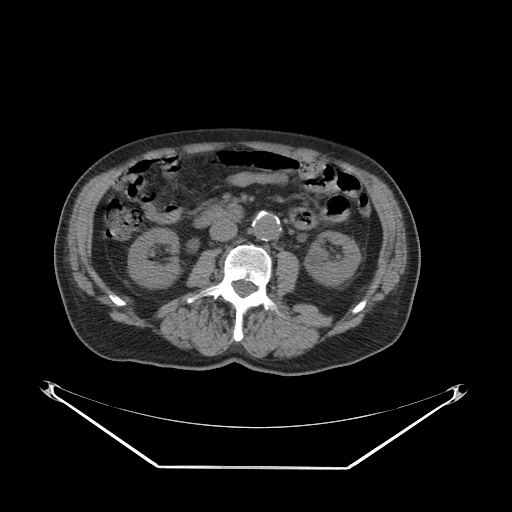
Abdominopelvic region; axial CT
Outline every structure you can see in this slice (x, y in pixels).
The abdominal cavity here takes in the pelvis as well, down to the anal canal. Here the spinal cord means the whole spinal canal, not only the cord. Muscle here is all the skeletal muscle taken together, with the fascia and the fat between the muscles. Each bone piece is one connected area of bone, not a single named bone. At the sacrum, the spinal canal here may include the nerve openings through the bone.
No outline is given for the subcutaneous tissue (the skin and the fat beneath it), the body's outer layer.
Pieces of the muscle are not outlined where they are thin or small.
{"bones":[{"outer":[[241,244],[260,246],[270,256],[272,272],[266,285],[266,293],[281,314],[265,309],[261,304],[250,307],[243,315],[243,337],[236,341],[233,339],[235,309],[228,301],[221,296],[215,299],[211,295],[190,303],[186,300],[222,279],[224,258],[230,249]],"hole":[[238,280],[244,280],[247,282],[250,282],[251,283],[252,283],[256,287],[256,289],[254,291],[251,292],[246,296],[244,296],[243,297],[242,297],[241,296],[240,296],[235,291],[235,290],[233,287],[233,285],[232,284],[234,281],[237,281]]},[[109,291],[112,291],[115,294],[116,294],[118,296],[119,296],[124,301],[125,301],[126,302],[126,304],[125,305],[124,305],[123,306],[118,306],[117,305],[116,305],[109,298],[109,297],[108,296],[108,293],[109,292]],[[363,298],[365,298],[366,299],[366,303],[365,304],[365,306],[360,311],[359,311],[357,313],[356,313],[355,314],[353,314],[351,312],[351,310],[356,305],[356,304],[358,302],[359,302]]],"abdominal_cavity":[[[225,146],[322,161],[361,181],[382,238],[372,278],[346,309],[330,315],[310,302],[288,303],[297,256],[281,249],[274,264],[254,243],[237,244],[224,257],[220,246],[203,250],[185,280],[191,289],[153,314],[96,271],[94,214],[116,179],[151,158]]],"torso":[[[218,126],[278,129],[330,139],[367,154],[395,180],[415,220],[421,265],[409,319],[392,345],[349,365],[284,376],[236,362],[207,370],[185,370],[113,361],[95,354],[78,339],[67,319],[53,266],[56,228],[71,187],[96,160],[129,141],[165,131]]],"muscle":[{"outer":[[240,141],[260,141],[261,142],[289,145],[293,147],[309,148],[319,151],[322,153],[329,154],[338,159],[341,159],[344,161],[347,161],[352,164],[354,164],[356,166],[376,175],[387,184],[391,189],[402,214],[403,224],[405,228],[405,237],[407,246],[407,258],[404,273],[400,276],[400,279],[396,287],[387,294],[381,301],[376,303],[371,311],[365,315],[362,321],[357,326],[327,338],[324,341],[316,344],[303,354],[289,358],[261,359],[258,357],[253,357],[249,355],[243,347],[239,344],[231,345],[223,353],[217,355],[206,356],[202,354],[196,354],[189,350],[184,350],[173,345],[166,339],[153,332],[148,327],[138,327],[134,325],[129,325],[113,320],[110,317],[108,313],[108,308],[105,305],[100,303],[92,296],[82,291],[78,287],[73,278],[72,270],[68,260],[69,252],[67,245],[68,244],[67,243],[67,235],[69,227],[69,220],[71,217],[76,198],[78,196],[82,187],[91,178],[134,156],[143,154],[151,150],[166,147],[177,147],[188,144],[202,143],[203,142],[239,142]],"holes":[[[225,146],[322,161],[361,181],[382,238],[372,278],[346,309],[288,303],[300,262],[281,249],[266,285],[281,314],[250,307],[236,341],[228,301],[186,300],[222,279],[220,246],[201,252],[191,289],[153,314],[109,298],[92,263],[108,188],[136,163]],[[363,298],[365,298],[366,299],[366,303],[365,304],[365,306],[360,311],[359,311],[357,313],[356,313],[355,314],[353,314],[351,312],[351,310],[356,305],[356,304],[358,302],[359,302]]]}],"spinal_cord":[[[238,280],[244,280],[247,282],[250,282],[251,283],[252,283],[256,287],[256,289],[254,291],[251,292],[246,296],[244,296],[243,297],[242,297],[241,296],[240,296],[235,291],[235,290],[233,287],[233,285],[232,284],[234,281],[237,281]]]}